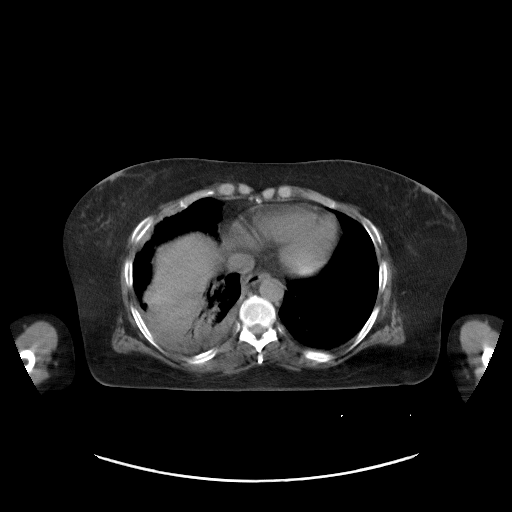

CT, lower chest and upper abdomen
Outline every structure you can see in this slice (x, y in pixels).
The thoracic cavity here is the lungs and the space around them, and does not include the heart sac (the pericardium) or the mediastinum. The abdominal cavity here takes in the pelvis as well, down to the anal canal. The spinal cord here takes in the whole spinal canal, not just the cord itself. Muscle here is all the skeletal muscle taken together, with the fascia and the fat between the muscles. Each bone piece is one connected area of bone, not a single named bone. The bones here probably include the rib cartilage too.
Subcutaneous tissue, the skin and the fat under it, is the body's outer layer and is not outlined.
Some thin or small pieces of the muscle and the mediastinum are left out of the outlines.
{"left_arm":[[[473,311],[481,311],[495,314],[502,318],[502,323],[500,331],[495,340],[493,351],[488,361],[487,366],[480,376],[474,389],[468,396],[467,399],[465,401],[463,401],[457,390],[456,384],[452,377],[448,364],[447,337],[450,327],[454,320],[464,313]]],"abdominal_cavity":[[[190,231],[199,231],[209,234],[215,238],[219,237],[223,248],[229,255],[229,259],[225,269],[223,270],[223,275],[219,275],[217,277],[187,315],[178,317],[177,319],[162,318],[157,311],[150,307],[143,300],[144,291],[152,276],[150,261],[156,246]]],"muscle":[[[130,234],[129,242],[138,245],[133,259],[127,257],[124,260],[123,275],[126,286],[134,292],[135,306],[130,304],[129,310],[145,339],[162,353],[165,352],[162,346],[170,352],[189,356],[184,359],[188,364],[200,365],[218,353],[216,346],[224,342],[232,332],[237,334],[239,343],[245,342],[255,349],[258,365],[228,375],[207,375],[173,367],[142,352],[119,353],[112,348],[112,334],[123,309],[119,278],[121,259]],[[377,227],[393,266],[392,292],[401,316],[404,342],[374,344],[339,364],[323,368],[292,370],[276,363],[262,364],[263,348],[271,342],[278,342],[279,336],[284,336],[286,331],[307,348],[301,351],[303,357],[317,363],[333,360],[335,355],[330,351],[353,338],[347,348],[351,350],[367,335],[380,311],[380,306],[375,305],[377,295],[384,291],[388,279],[387,262],[382,259],[378,263],[377,260],[376,251],[382,244]],[[36,320],[44,320],[49,322],[56,329],[57,335],[58,336],[57,350],[53,359],[50,376],[38,384],[34,384],[34,382],[32,380],[32,378],[30,375],[36,363],[36,355],[34,350],[31,347],[18,349],[14,340],[14,337],[26,323],[32,322]],[[470,318],[478,318],[481,320],[486,319],[499,331],[497,338],[495,340],[494,347],[488,344],[482,347],[480,360],[485,370],[480,376],[477,383],[475,381],[472,369],[467,362],[467,355],[461,348],[459,339],[460,328],[462,324]],[[188,193],[190,193],[187,194],[178,201],[177,207],[176,208],[172,209],[169,212],[167,216],[165,216],[156,223],[155,223],[156,221],[154,216],[152,214],[148,214],[153,211],[159,205],[163,203],[165,203],[168,201],[171,201],[172,200],[177,199]],[[335,200],[336,200],[337,201],[339,201],[340,202],[343,202],[344,203],[348,203],[349,204],[352,204],[353,205],[356,206],[364,215],[361,215],[360,216],[359,221],[356,220],[351,216],[350,216],[349,215],[346,214],[344,212],[339,210],[339,206]],[[286,185],[294,185],[295,186],[299,186],[300,187],[309,188],[310,189],[312,189],[313,190],[315,190],[316,191],[317,191],[313,191],[312,190],[303,190],[300,194],[301,197],[292,197],[294,194],[294,191],[293,190],[293,189],[289,185]],[[252,187],[258,190],[261,190],[263,189],[260,192],[260,195],[256,195],[253,197],[252,196],[250,196],[249,197],[244,196],[243,197],[234,197],[233,198],[229,198],[228,197],[225,197],[224,196],[215,196],[216,195],[218,195],[219,196],[225,196],[226,197],[229,197],[235,194],[239,194],[240,195],[243,195],[244,196],[246,196],[247,195],[250,195],[252,193],[253,191],[253,188]]],"torso":[[[171,157],[246,162],[350,159],[396,171],[440,195],[461,219],[466,231],[467,249],[444,300],[440,352],[433,373],[412,385],[307,391],[189,391],[115,387],[97,382],[92,377],[84,356],[74,291],[62,249],[64,225],[77,201],[103,178],[136,163]]],"spinal_cord":[[[254,325],[259,325],[260,326],[261,326],[262,327],[263,327],[265,329],[265,330],[260,335],[260,336],[259,336],[258,337],[257,336],[256,336],[250,330],[250,328],[251,327],[252,327]]],"mediastinum":[[[214,197],[246,197],[253,200],[257,204],[260,204],[264,200],[304,198],[327,208],[302,202],[276,204],[255,204],[223,222],[221,228],[220,236],[221,237],[226,250],[227,251],[230,254],[257,260],[293,279],[286,280],[277,313],[269,300],[257,294],[240,302],[240,275],[224,275],[230,255],[227,253],[221,242],[217,227],[222,219],[222,202]]],"thoracic_cavity":[[[328,208],[340,211],[360,223],[373,244],[378,264],[377,294],[374,306],[370,314],[352,338],[329,351],[312,349],[302,345],[286,330],[278,319],[277,314],[287,290],[287,280],[306,279],[316,276],[328,263],[340,241],[343,233],[342,227],[338,218]],[[206,197],[221,202],[218,237],[190,230],[156,245],[149,261],[151,276],[142,294],[142,300],[162,319],[177,320],[190,313],[219,276],[239,275],[238,319],[231,334],[213,347],[184,355],[158,343],[145,323],[136,306],[133,260],[140,241],[155,224]]],"pericardium":[[[283,203],[302,203],[320,206],[330,212],[334,216],[339,226],[339,239],[329,260],[317,273],[311,276],[294,279],[287,276],[284,276],[257,259],[252,261],[248,258],[230,253],[227,250],[223,242],[221,233],[224,222],[226,220],[255,205],[276,205]]],"right_arm":[[[36,310],[43,310],[51,312],[57,315],[66,324],[73,339],[75,354],[75,374],[70,385],[64,389],[48,391],[43,394],[38,390],[34,384],[31,376],[25,367],[25,364],[19,356],[20,352],[16,345],[10,327],[10,323],[16,318],[28,312]]],"bones":[{"outer":[[251,295],[257,295],[269,301],[276,311],[277,319],[285,329],[285,334],[280,334],[278,336],[278,341],[271,341],[262,348],[263,361],[261,364],[257,362],[256,349],[245,341],[239,342],[238,334],[234,334],[233,332],[234,325],[239,319],[240,305]],"hole":[[254,325],[259,325],[260,326],[261,326],[262,327],[263,327],[265,329],[265,330],[260,335],[260,336],[259,336],[258,337],[257,336],[256,336],[250,330],[250,328],[251,327],[252,327]]},[[222,183],[231,183],[236,186],[239,184],[246,184],[252,188],[252,191],[250,194],[244,195],[235,193],[229,196],[216,194],[214,196],[202,197],[195,200],[184,209],[169,215],[172,210],[178,207],[179,201],[187,195],[200,189],[207,188],[215,189]],[[284,185],[289,186],[293,191],[292,196],[289,198],[282,199],[274,197],[270,200],[265,200],[264,199],[260,203],[257,203],[253,199],[249,198],[250,197],[253,198],[256,196],[260,196],[261,192],[266,188],[270,187],[276,189],[278,187]],[[148,215],[152,215],[153,216],[154,218],[154,220],[155,221],[154,223],[154,225],[152,227],[152,228],[150,229],[141,238],[141,239],[137,243],[132,243],[130,242],[130,238],[131,237],[131,234],[134,228],[142,219],[143,219],[146,216]],[[130,305],[133,305],[138,310],[144,323],[146,325],[147,328],[153,336],[155,341],[162,348],[164,352],[162,352],[158,349],[157,349],[146,339],[146,338],[141,332],[141,331],[139,329],[139,328],[137,326],[135,322],[135,320],[130,310]],[[376,305],[379,306],[379,311],[378,312],[378,314],[375,319],[375,321],[373,323],[371,328],[366,334],[366,335],[354,347],[353,347],[349,350],[348,349],[349,346],[353,342],[355,336],[364,325],[364,324],[368,319],[369,316],[371,314],[374,307]],[[303,191],[312,191],[313,192],[317,192],[322,195],[324,195],[334,200],[338,206],[338,210],[337,209],[332,209],[331,208],[329,208],[325,205],[317,201],[315,201],[311,199],[308,199],[307,198],[302,197],[301,194]],[[361,216],[364,216],[365,217],[368,218],[376,227],[376,228],[379,233],[379,235],[380,236],[380,239],[381,240],[381,244],[378,247],[378,249],[377,250],[376,250],[375,249],[374,244],[373,243],[369,234],[360,222],[360,219],[361,218]],[[304,349],[311,349],[312,350],[319,350],[320,351],[326,351],[327,352],[330,352],[331,353],[332,353],[334,355],[334,358],[333,359],[332,359],[327,362],[317,362],[314,360],[312,360],[311,359],[307,359],[306,358],[305,358],[302,353],[302,351]],[[214,347],[216,347],[218,349],[218,351],[217,353],[212,358],[205,361],[203,363],[201,363],[200,364],[190,364],[188,363],[185,359],[187,357],[192,356],[195,354],[198,354],[201,352],[206,351]],[[28,348],[31,348],[33,350],[33,351],[34,352],[34,354],[35,355],[35,363],[32,368],[32,370],[31,371],[31,372],[29,374],[25,367],[25,364],[21,360],[21,359],[19,356],[19,354],[20,353],[19,350],[22,350],[23,349],[27,349]],[[382,260],[384,260],[386,262],[386,267],[387,268],[387,279],[386,280],[386,283],[385,284],[385,287],[384,288],[384,289],[383,290],[383,291],[382,292],[380,292],[379,293],[378,292],[378,283],[379,282],[379,263]],[[127,258],[129,258],[130,259],[132,259],[132,288],[130,288],[129,287],[128,287],[127,286],[127,285],[126,284],[126,282],[125,281],[125,276],[124,275],[124,263],[125,262],[125,260]],[[486,345],[488,345],[490,347],[493,348],[493,351],[492,352],[492,353],[491,354],[491,356],[490,357],[490,358],[488,361],[488,363],[487,364],[487,366],[485,368],[485,366],[481,360],[481,355],[482,354],[482,352],[483,351],[483,347]]]}